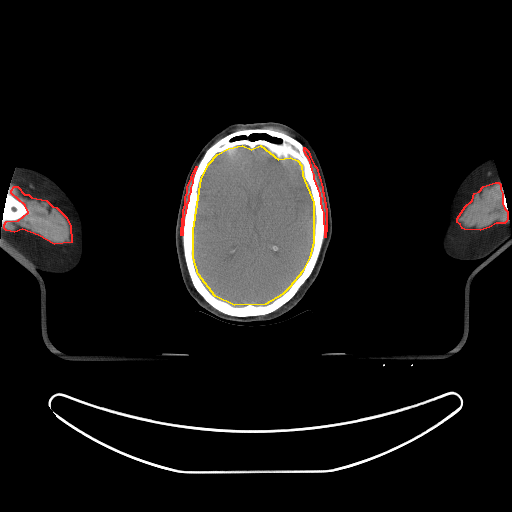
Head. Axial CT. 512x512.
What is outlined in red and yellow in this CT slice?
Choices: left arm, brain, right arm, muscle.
red: muscle; yellow: brain.
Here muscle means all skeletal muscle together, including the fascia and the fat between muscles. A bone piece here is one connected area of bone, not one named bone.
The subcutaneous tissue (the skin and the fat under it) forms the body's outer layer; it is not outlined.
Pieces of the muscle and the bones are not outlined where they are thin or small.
Outlines (x, y in pixels):
muscle 1: [[14,186],[17,186],[24,194],[28,194],[31,197],[46,200],[52,206],[56,207],[65,216],[70,225],[71,242],[54,244],[38,235],[22,229],[14,232],[6,230],[4,228],[4,224],[6,221],[18,220],[28,212],[25,205],[11,193],[11,190]]
muscle 2: [[495,182],[498,182],[500,184],[500,189],[502,193],[502,203],[504,208],[507,211],[507,219],[506,221],[504,223],[496,223],[489,227],[480,230],[464,229],[462,228],[460,224],[457,222],[457,218],[465,206],[472,200],[474,193],[479,191],[483,186]]
muscle 3: [[304,147],[308,151],[310,157],[314,165],[316,167],[322,187],[322,191],[323,192],[324,201],[325,202],[325,207],[326,208],[326,231],[325,232],[325,237],[324,212],[322,208],[320,193],[314,178],[314,174],[312,170],[310,161],[304,151]]
muscle 4: [[196,166],[192,178],[192,183],[190,187],[190,191],[188,196],[188,201],[186,204],[185,213],[183,217],[182,235],[181,235],[182,218],[183,217],[183,210],[185,204],[185,197],[187,192],[187,187],[191,178],[191,176]]
brain: [[242,145],[251,149],[260,145],[278,159],[290,157],[297,160],[301,165],[302,175],[313,202],[313,242],[309,257],[302,271],[289,287],[282,294],[265,304],[234,305],[215,296],[198,274],[193,257],[193,230],[201,178],[209,163],[217,154],[228,148]]
head: [[268,121],[283,123],[298,131],[314,149],[327,186],[332,217],[332,234],[317,277],[294,307],[271,320],[254,321],[249,325],[232,324],[214,318],[202,311],[204,310],[185,287],[175,247],[178,208],[184,182],[194,159],[202,147],[216,133],[234,123]]
right arm: [[17,166],[34,169],[53,180],[70,198],[80,215],[83,229],[83,251],[79,263],[68,272],[65,273],[46,272],[43,270],[43,268],[40,265],[28,258],[23,253],[17,252],[1,237],[0,238],[4,204],[10,187],[10,182],[12,179],[14,170]]
left arm: [[489,158],[493,160],[501,182],[501,187],[503,190],[503,194],[505,197],[505,202],[507,206],[511,238],[510,237],[507,239],[480,259],[476,260],[454,259],[447,255],[442,247],[442,239],[448,223],[448,212],[451,200],[458,186],[468,173],[477,165]]
bones 1: [[254,128],[271,128],[282,131],[303,145],[303,151],[309,161],[319,193],[323,212],[324,237],[318,259],[311,274],[292,298],[270,313],[243,317],[228,315],[217,310],[196,290],[185,262],[182,236],[184,217],[194,174],[206,150],[217,140],[232,132]], around a hole outlined by [[242,145],[251,149],[260,145],[278,159],[290,157],[297,160],[301,165],[302,175],[313,202],[313,242],[309,257],[302,271],[289,287],[282,294],[265,304],[234,305],[215,296],[198,274],[193,257],[193,230],[201,178],[209,163],[217,154],[228,148]]
bones 2: [[9,189],[10,190],[10,193],[17,200],[18,200],[24,205],[27,210],[27,212],[18,219],[16,219],[15,220],[6,220],[4,222],[3,225],[2,225],[2,213],[3,212],[3,209],[4,208],[4,204],[5,203],[6,196],[8,193],[8,190]]